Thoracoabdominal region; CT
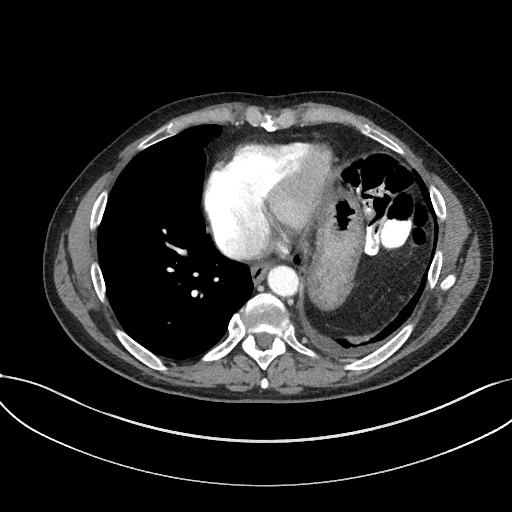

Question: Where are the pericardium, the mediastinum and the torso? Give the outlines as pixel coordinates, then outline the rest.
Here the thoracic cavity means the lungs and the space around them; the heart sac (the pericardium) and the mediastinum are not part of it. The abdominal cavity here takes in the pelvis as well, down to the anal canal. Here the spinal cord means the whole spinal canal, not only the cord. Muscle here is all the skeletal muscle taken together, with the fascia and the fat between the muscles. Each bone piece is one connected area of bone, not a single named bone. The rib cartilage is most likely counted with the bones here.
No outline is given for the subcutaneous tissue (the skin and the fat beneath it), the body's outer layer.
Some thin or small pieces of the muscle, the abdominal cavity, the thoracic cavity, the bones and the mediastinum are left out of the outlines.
Answer: Outlined structures:
pericardium: (246, 263) (259, 261) (270, 256) (289, 256) (298, 245) (299, 240) (315, 227) (327, 203) (329, 191) (333, 183) (333, 172) (348, 152) (338, 138) (321, 132) (246, 134) (236, 138) (218, 155) (203, 182) (201, 204) (206, 221) (206, 229) (217, 249) (223, 255) (230, 259)
mediastinum 1: (290, 315) (295, 310) (295, 307) (299, 305) (301, 298) (303, 297) (303, 283) (301, 272) (299, 271) (297, 264) (293, 261) (295, 250) (289, 257) (270, 257) (251, 264) (242, 263) (246, 264) (250, 270) (253, 283) (253, 291) (251, 297) (259, 292) (270, 292) (285, 304)
mediastinum 2: (204, 178) (217, 155) (236, 137) (246, 133) (321, 131) (335, 135) (347, 148) (362, 141) (370, 142) (371, 139) (354, 127) (337, 122) (295, 125) (274, 132) (267, 132) (261, 127) (253, 127) (247, 123) (237, 126) (230, 123) (206, 123) (218, 124) (222, 131) (204, 148)
torso: (237, 403) (319, 401) (391, 384) (451, 347) (471, 325) (485, 297) (493, 273) (493, 237) (484, 202) (433, 145) (373, 100) (344, 91) (308, 90) (278, 95) (219, 91) (169, 102) (100, 151) (73, 180) (53, 212) (42, 255) (43, 287) (70, 339) (100, 364) (140, 385)
bones 1: (263, 370) (275, 357) (286, 352) (287, 345) (301, 354) (313, 358) (318, 358) (320, 356) (297, 338) (294, 326) (284, 304) (270, 293) (259, 293) (250, 298) (231, 317) (227, 328) (227, 336) (200, 358) (201, 361) (216, 360) (229, 353) (239, 343) (242, 349) (252, 357); inner edge: (263, 349) (265, 348) (268, 348) (271, 345) (271, 343) (272, 342) (272, 336) (270, 334) (268, 333) (266, 333) (265, 332) (262, 332) (256, 335) (256, 342) (257, 343) (257, 345) (258, 347) (260, 348) (262, 348)
bones 2: (400, 155) (404, 151) (383, 133) (353, 116) (323, 108) (308, 108) (302, 112) (289, 108) (273, 115) (247, 106) (239, 118) (228, 108) (217, 108) (171, 121) (136, 147) (140, 151) (198, 123) (230, 122) (237, 125) (247, 122) (274, 131) (297, 123) (337, 121) (349, 123)
bones 3: (346, 370) (362, 370) (363, 369) (368, 369) (377, 365) (386, 358) (390, 356) (401, 346) (401, 345) (407, 339) (411, 333) (415, 324) (413, 322) (408, 322) (381, 347) (378, 348) (375, 351) (362, 357) (358, 361) (355, 361) (352, 364) (345, 364) (343, 366) (343, 368)
bones 4: (164, 372) (165, 372) (168, 369) (168, 368) (160, 357) (157, 356) (155, 354) (152, 353) (140, 345) (122, 329) (120, 328) (115, 328) (114, 327) (113, 328) (113, 330) (119, 341) (130, 353) (131, 353) (136, 358) (149, 367) (153, 369) (159, 370) (160, 371) (163, 371)
bones 5: (91, 230) (94, 230) (96, 228) (97, 228) (100, 223) (100, 221) (102, 217) (102, 214) (105, 207) (105, 204) (107, 201) (107, 197) (108, 196) (108, 191) (105, 189) (104, 189) (99, 194) (93, 205) (92, 211) (91, 212) (91, 217) (90, 218) (90, 229)
bones 6: (104, 304) (106, 304) (107, 303) (107, 298) (105, 294) (105, 285) (104, 284) (104, 281) (102, 277) (101, 270) (99, 267) (98, 262) (97, 261) (92, 261) (91, 263) (91, 266) (90, 267) (92, 281) (94, 285) (94, 288) (96, 291) (96, 293) (99, 299) (101, 302)
bones 7: (438, 221) (442, 221) (445, 219) (445, 217) (446, 216) (446, 212) (445, 211) (445, 202) (439, 190) (433, 184) (430, 184) (428, 186) (429, 194) (430, 195) (431, 201) (432, 202) (432, 204) (433, 205) (433, 207) (434, 208) (434, 210) (435, 211) (435, 213) (436, 214)
bones 8: (430, 289) (432, 289) (436, 284) (436, 282) (439, 275) (439, 272) (441, 268) (441, 263) (442, 262) (442, 252) (441, 250) (437, 247) (435, 250) (435, 253) (433, 256) (433, 259) (431, 262) (431, 264) (429, 268) (429, 271) (428, 272) (428, 276) (427, 277) (426, 287)
bones 9: (443, 290) (446, 290) (447, 289) (448, 289) (455, 282) (455, 280) (456, 279) (456, 276) (453, 273) (451, 273) (450, 274) (449, 274) (448, 275) (447, 275) (443, 279) (443, 280) (440, 283) (440, 287) (441, 288) (441, 289) (442, 289)
muscle: (283, 394) (299, 393) (306, 387) (336, 387) (365, 380) (427, 342) (454, 316) (477, 282) (481, 261) (478, 235) (447, 184) (399, 138) (362, 115) (310, 101) (276, 109) (243, 102) (214, 104) (174, 117) (161, 126) (217, 107) (228, 107) (239, 117) (247, 105) (273, 114) (289, 107) (298, 111) (323, 107) (353, 115) (394, 140) (406, 153) (400, 156) (427, 185) (433, 183) (446, 202) (446, 219) (437, 221) (437, 246) (443, 252) (437, 284) (432, 290) (425, 288) (405, 323) (416, 324) (408, 339) (377, 366) (346, 371) (342, 368) (344, 364) (324, 355) (313, 359) (287, 346) (287, 352) (263, 371) (239, 344) (212, 362) (201, 362) (201, 356) (187, 360) (161, 357) (169, 368) (164, 373) (140, 362) (118, 341) (112, 328) (121, 326) (108, 300) (104, 305) (98, 299) (89, 271) (91, 261) (97, 260) (97, 229) (89, 229) (92, 205) (104, 188) (110, 190) (138, 152) (135, 147) (154, 131) (126, 146) (114, 166) (93, 183) (61, 234) (53, 266) (60, 299) (86, 331) (110, 352) (155, 378) (185, 386) (222, 385) (232, 391) (245, 391) (261, 388) (259, 383) (265, 376) (267, 388), around a hole outlined by (443, 290) (446, 290) (447, 289) (448, 289) (455, 282) (455, 280) (456, 279) (456, 276) (453, 273) (451, 273) (450, 274) (449, 274) (448, 275) (447, 275) (443, 279) (443, 280) (440, 283) (440, 287) (441, 288) (441, 289) (442, 289)
spinal cord: (263, 349) (265, 348) (268, 348) (271, 345) (271, 343) (272, 342) (272, 336) (270, 334) (268, 333) (266, 333) (265, 332) (262, 332) (256, 335) (256, 342) (257, 343) (257, 345) (258, 347) (260, 348) (262, 348)
thoracic cavity 1: (171, 359) (201, 355) (221, 341) (227, 334) (230, 317) (252, 291) (248, 267) (226, 258) (216, 249) (199, 208) (205, 166) (203, 148) (221, 131) (220, 126) (214, 124) (190, 126) (139, 152) (122, 170) (109, 192) (98, 227) (98, 261) (107, 297) (122, 328) (152, 352)
thoracic cavity 2: (341, 363) (352, 363) (386, 342) (409, 317) (425, 287) (428, 268) (436, 247) (438, 228) (427, 186) (413, 168) (423, 198) (433, 216) (434, 236) (428, 265) (408, 304) (383, 330) (361, 343) (346, 339) (321, 338) (307, 327) (299, 306) (290, 316) (296, 335) (303, 343)
abdominal cavity: (353, 342) (365, 341) (375, 335) (407, 304) (419, 285) (432, 247) (432, 216) (411, 168) (397, 154) (373, 140) (348, 149) (346, 158) (334, 172) (334, 183) (324, 213) (316, 227) (300, 240) (296, 248) (304, 283) (304, 297) (300, 306) (306, 324) (323, 338) (346, 338)